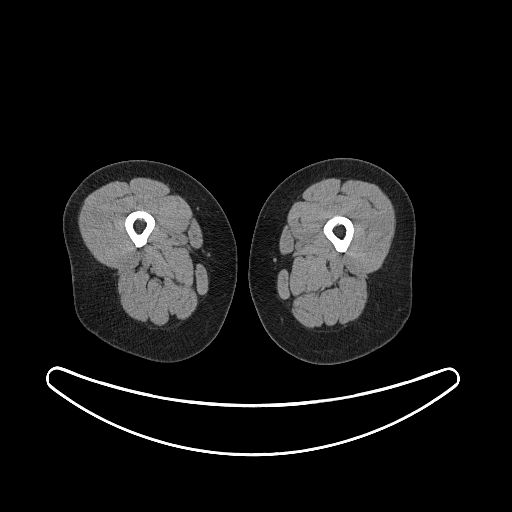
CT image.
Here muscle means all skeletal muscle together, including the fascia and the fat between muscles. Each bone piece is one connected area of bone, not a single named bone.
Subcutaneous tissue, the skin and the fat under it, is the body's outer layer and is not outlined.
{"right_leg":[[[123,160],[158,161],[177,167],[194,177],[207,188],[220,204],[235,238],[237,280],[225,320],[218,334],[209,345],[199,353],[182,361],[156,362],[116,349],[88,331],[79,321],[74,309],[70,263],[62,230],[64,208],[72,192],[86,176],[100,167]]],"bones":[[[335,215],[341,215],[342,216],[345,216],[347,217],[351,220],[354,226],[354,233],[353,234],[353,237],[346,251],[344,252],[339,252],[337,251],[333,244],[326,237],[326,236],[323,232],[323,226],[326,222],[326,221],[328,219],[331,218]],[[136,210],[144,210],[148,212],[153,216],[155,220],[155,225],[152,231],[148,236],[146,243],[141,247],[136,247],[134,243],[129,237],[125,229],[125,226],[124,225],[124,221],[127,215],[129,213],[133,211],[135,211]]],"left_leg":[[[329,158],[357,158],[371,162],[389,172],[407,192],[415,214],[412,305],[410,315],[402,329],[385,345],[351,361],[332,365],[318,365],[302,361],[290,355],[279,347],[268,335],[259,319],[250,294],[248,260],[256,220],[269,194],[293,172],[314,162]]],"muscle":[{"outer":[[133,177],[149,177],[168,184],[175,193],[184,198],[189,204],[202,231],[203,259],[209,282],[208,291],[191,317],[176,329],[160,330],[142,327],[126,314],[119,301],[116,282],[112,279],[109,270],[90,253],[79,231],[77,219],[86,196],[108,182]],"hole":[[136,210],[144,210],[148,212],[153,216],[155,220],[155,225],[152,231],[148,236],[146,243],[141,247],[136,247],[134,243],[129,237],[125,229],[125,226],[124,225],[124,221],[127,215],[129,213],[133,211],[135,211]]},{"outer":[[329,177],[358,179],[376,184],[390,199],[395,211],[396,224],[389,252],[382,266],[374,273],[370,281],[367,302],[360,317],[348,328],[338,333],[316,334],[306,331],[282,304],[277,295],[278,242],[286,222],[287,213],[298,196],[309,185]],"hole":[[335,215],[341,215],[342,216],[345,216],[347,217],[351,220],[354,226],[354,233],[353,234],[353,237],[346,251],[344,252],[339,252],[337,251],[333,244],[326,237],[326,236],[323,232],[323,226],[326,222],[326,221],[328,219],[331,218]]}]}